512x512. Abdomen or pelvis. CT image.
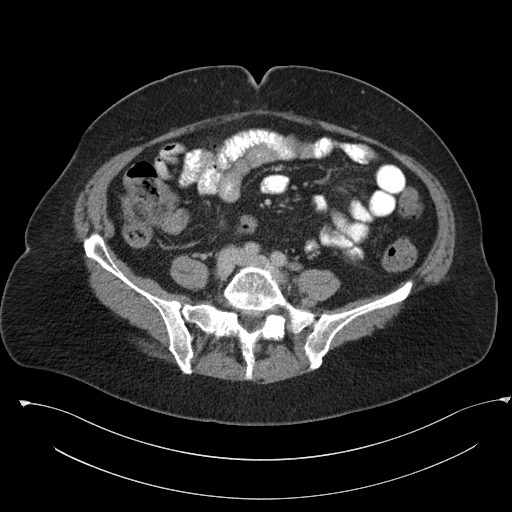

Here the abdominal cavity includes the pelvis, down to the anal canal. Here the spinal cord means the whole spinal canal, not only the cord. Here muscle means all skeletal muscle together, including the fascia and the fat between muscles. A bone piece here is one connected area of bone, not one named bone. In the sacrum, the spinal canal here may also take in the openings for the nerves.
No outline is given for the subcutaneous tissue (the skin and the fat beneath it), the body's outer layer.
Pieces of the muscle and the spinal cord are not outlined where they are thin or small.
The bones are outlined by (93, 232) (139, 288) (227, 312) (233, 307) (222, 292) (248, 265) (268, 270) (285, 298) (316, 318) (413, 284) (405, 299) (340, 329) (310, 371) (304, 345) (312, 324) (259, 339) (246, 380) (236, 337) (186, 321) (187, 374) (168, 348) (159, 311) (86, 255) (83, 241), around holes outlined by (258, 313) (260, 313) (261, 314) (261, 315) (263, 318) (263, 320) (261, 323) (261, 325) (258, 328) (257, 328) (256, 329) (255, 329) (253, 331) (248, 331) (242, 325) (242, 324) (240, 322) (240, 317) (242, 315) (243, 315) (244, 314) (254, 314) (255, 315) and by (280, 305) (281, 305) (282, 306) (285, 307) (285, 308) (286, 309) (285, 312) (284, 312) (283, 313) (280, 313) (279, 314) (272, 314) (271, 313) (270, 313) (270, 312) (269, 311) (270, 308) (271, 308) (272, 307) (277, 307). The torso is outlined by (220, 64) (241, 65) (257, 82) (277, 65) (344, 73) (397, 98) (439, 135) (476, 198) (484, 251) (496, 283) (495, 336) (480, 362) (362, 411) (287, 425) (232, 425) (152, 411) (10, 358) (0, 337) (4, 285) (25, 249) (32, 211) (84, 131) (113, 103) (151, 81). The muscle appears in 5 outlined pieces: piece 1: (250, 109) (283, 111) (351, 129) (406, 154) (422, 164) (438, 179) (449, 198) (453, 211) (456, 246) (450, 270) (446, 278) (441, 282) (409, 297) (414, 282) (408, 279) (397, 288) (371, 301) (339, 312) (323, 312) (316, 317) (310, 310) (294, 306) (301, 301) (299, 277) (304, 270) (329, 270) (339, 279) (339, 288) (331, 296) (318, 301) (314, 305) (315, 309) (334, 309) (358, 299) (392, 290) (413, 274) (422, 264) (438, 231) (435, 204) (424, 182) (391, 153) (378, 145) (356, 137) (269, 114) (250, 114) (165, 139) (143, 149) (109, 182) (107, 200) (109, 215) (114, 228) (109, 244) (116, 255) (134, 274) (151, 278) (170, 293) (183, 294) (197, 302) (211, 302) (220, 295) (221, 299) (217, 300) (215, 304) (210, 302) (191, 304) (182, 303) (177, 299) (165, 299) (150, 293) (139, 287) (123, 273) (110, 255) (103, 236) (96, 231) (91, 232) (83, 239) (82, 247) (88, 258) (145, 297) (158, 311) (168, 337) (167, 348) (174, 358) (175, 365) (137, 350) (129, 340) (125, 325) (98, 301) (90, 289) (84, 259) (75, 239) (73, 225) (75, 202) (96, 170) (116, 154) (190, 124); piece 2: (310, 325) (312, 325) (312, 330) (306, 336) (305, 342) (303, 345) (304, 353) (308, 360) (309, 372) (270, 383) (256, 383) (251, 380) (253, 377) (253, 368) (255, 363) (254, 348) (256, 343) (259, 340) (261, 339) (280, 340) (285, 336) (287, 330) (293, 334) (297, 334); piece 3: (186, 322) (196, 325) (207, 335) (213, 335) (216, 338) (221, 337) (236, 338) (239, 343) (241, 354) (245, 362) (245, 371) (244, 372) (244, 379) (245, 380) (232, 381) (207, 375) (192, 373) (193, 371) (191, 361) (194, 357) (194, 350) (192, 343) (193, 336) (190, 332); piece 4: (404, 300) (405, 300) (404, 305) (398, 314) (397, 317) (383, 331) (356, 341) (353, 341) (349, 343) (343, 344) (332, 350) (327, 354) (323, 359) (324, 356) (329, 351) (331, 342) (336, 334) (354, 319) (359, 316) (364, 315) (372, 311) (385, 308) (388, 306) (399, 303); piece 5: (180, 255) (186, 255) (194, 260) (197, 260) (203, 263) (207, 267) (209, 274) (207, 278) (207, 282) (205, 284) (204, 287) (200, 288) (197, 290) (188, 289) (178, 284) (172, 278) (172, 277) (170, 275) (170, 267) (171, 266) (172, 260) (175, 257) (179, 256). The spinal cord appears in 2 outlined pieces: piece 1: (258, 313) (260, 313) (261, 314) (261, 315) (263, 318) (263, 320) (261, 323) (261, 325) (258, 328) (257, 328) (256, 329) (255, 329) (253, 331) (248, 331) (242, 325) (242, 324) (240, 322) (240, 317) (242, 315) (243, 315) (244, 314) (254, 314) (255, 315); piece 2: (222, 299) (225, 300) (227, 302) (227, 303) (228, 304) (231, 305) (231, 306) (232, 307) (231, 310) (230, 310) (229, 311) (227, 311) (226, 310) (222, 310) (217, 307) (217, 306) (216, 305) (216, 303) (217, 302) (217, 301) (218, 301) (219, 300) (221, 300). The abdominal cavity is outlined by (250, 115) (365, 141) (413, 172) (426, 186) (437, 217) (435, 238) (413, 273) (390, 290) (334, 308) (315, 308) (340, 288) (329, 269) (300, 272) (295, 305) (268, 269) (253, 264) (234, 273) (211, 301) (170, 292) (134, 273) (110, 244) (115, 232) (110, 182) (154, 144), around a hole outlined by (180, 255) (186, 255) (194, 260) (197, 260) (203, 263) (207, 267) (209, 274) (207, 278) (207, 282) (205, 284) (204, 287) (200, 288) (197, 290) (188, 289) (178, 284) (172, 278) (172, 277) (170, 275) (170, 267) (171, 266) (172, 260) (175, 257) (179, 256).